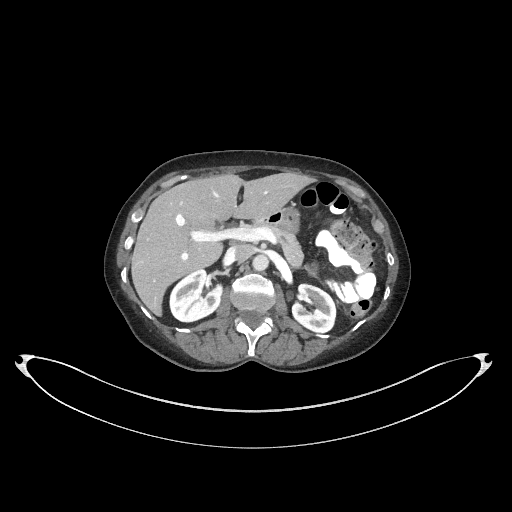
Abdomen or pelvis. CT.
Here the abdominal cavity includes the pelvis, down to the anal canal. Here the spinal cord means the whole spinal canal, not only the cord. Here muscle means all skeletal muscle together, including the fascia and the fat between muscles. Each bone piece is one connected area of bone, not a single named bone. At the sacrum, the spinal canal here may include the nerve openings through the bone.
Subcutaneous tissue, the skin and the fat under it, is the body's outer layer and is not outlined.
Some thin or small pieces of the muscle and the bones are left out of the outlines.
The muscle is outlined by (289, 366) (309, 361) (349, 340) (386, 309) (399, 261) (388, 223) (376, 203) (365, 189) (347, 177) (298, 167) (221, 165) (176, 170) (160, 177) (144, 191) (127, 215) (116, 253) (119, 284) (135, 312) (151, 329) (204, 363) (229, 364) (248, 357) (245, 336) (234, 329) (233, 319) (239, 312) (230, 301) (230, 286) (225, 287) (221, 304) (211, 318) (189, 327) (190, 333) (180, 333) (174, 326) (155, 317) (148, 319) (139, 308) (140, 302) (128, 278) (123, 283) (119, 276) (121, 268) (128, 267) (129, 261) (129, 250) (123, 247) (124, 239) (128, 235) (134, 236) (137, 226) (130, 220) (130, 215) (139, 207) (144, 211) (148, 202) (168, 186) (161, 187) (162, 181) (183, 173) (201, 177) (254, 168) (311, 172) (343, 186) (372, 214) (372, 223) (376, 219) (383, 223) (384, 231) (380, 236) (384, 250) (385, 253) (390, 251) (395, 260) (392, 266) (387, 266) (385, 286) (390, 286) (390, 295) (385, 301) (380, 300) (355, 331) (349, 329) (341, 334) (330, 334) (326, 339) (318, 338) (289, 315) (284, 292) (275, 284) (276, 302) (267, 313) (275, 325) (270, 333) (259, 338) (254, 357), around a hole outlined by (362, 198) (364, 198) (365, 197) (365, 194) (359, 188) (357, 188) (356, 187) (355, 187) (354, 186) (353, 186) (352, 185) (348, 185) (347, 184) (346, 184) (345, 185) (352, 192) (353, 192) (354, 193) (355, 193) (357, 195) (358, 195) (360, 197) (361, 197). The abdominal cavity is outlined by (317, 333) (350, 328) (375, 308) (384, 288) (387, 264) (381, 238) (373, 229) (371, 214) (343, 187) (311, 173) (254, 169) (188, 177) (149, 202) (130, 250) (128, 277) (154, 316) (172, 325) (193, 325) (214, 314) (226, 285) (245, 273) (257, 272) (282, 286) (290, 315). The bones appear in 7 outlined pieces: piece 1: (248, 356) (254, 355) (258, 338) (270, 332) (274, 325) (266, 314) (275, 302) (274, 287) (269, 279) (257, 273) (245, 274) (231, 284) (230, 298) (239, 311) (257, 308) (265, 313) (262, 323) (255, 329) (247, 326) (239, 315) (234, 319) (235, 329) (243, 333) (248, 341); piece 2: (161, 186) (165, 186) (166, 185) (169, 185) (170, 184) (175, 182) (177, 180) (186, 178) (188, 176) (188, 175) (187, 175) (186, 174) (183, 174) (182, 175) (177, 175) (174, 177) (172, 177) (171, 178) (162, 182) (160, 184) (160, 185); piece 3: (133, 222) (138, 222) (141, 219) (141, 218) (142, 217) (142, 216) (143, 215) (143, 211) (142, 210) (142, 209) (141, 209) (140, 208) (139, 208) (138, 209) (137, 209) (135, 211) (134, 211) (132, 213) (132, 214) (131, 215) (131, 220); piece 4: (362, 198) (364, 198) (365, 197) (365, 194) (359, 188) (357, 188) (356, 187) (355, 187) (354, 186) (353, 186) (352, 185) (348, 185) (347, 184) (346, 184) (345, 185) (352, 192) (353, 192) (354, 193) (355, 193) (357, 195) (358, 195) (360, 197) (361, 197); piece 5: (378, 233) (381, 233) (383, 231) (383, 225) (382, 224) (382, 223) (379, 220) (376, 220) (374, 222) (374, 223) (373, 224) (373, 226) (374, 227) (374, 229); piece 6: (150, 319) (152, 319) (152, 318) (153, 317) (152, 316) (152, 315) (148, 311) (148, 310) (142, 304) (141, 304) (140, 305) (140, 308) (141, 309) (141, 310) (144, 313) (144, 314) (148, 318) (149, 318); piece 7: (351, 331) (353, 331) (354, 330) (355, 330) (359, 326) (360, 326) (366, 320) (366, 319) (365, 318) (363, 318) (361, 320) (360, 320) (358, 322) (357, 322) (351, 328). The torso is outlined by (286, 373) (307, 372) (354, 358) (374, 346) (393, 325) (405, 301) (411, 279) (410, 258) (396, 218) (380, 195) (356, 171) (324, 157) (275, 150) (234, 149) (184, 154) (161, 163) (121, 206) (104, 251) (105, 283) (130, 330) (145, 347) (189, 370) (222, 372) (254, 361). The spinal cord is outlined by (251, 328) (255, 328) (258, 325) (259, 325) (261, 323) (261, 322) (263, 319) (263, 317) (264, 316) (264, 313) (261, 310) (258, 310) (257, 309) (256, 309) (255, 310) (243, 310) (240, 312) (240, 316) (242, 318) (242, 320) (247, 325) (248, 325).